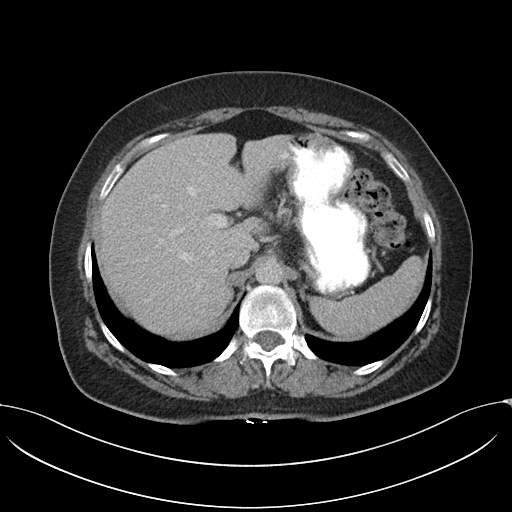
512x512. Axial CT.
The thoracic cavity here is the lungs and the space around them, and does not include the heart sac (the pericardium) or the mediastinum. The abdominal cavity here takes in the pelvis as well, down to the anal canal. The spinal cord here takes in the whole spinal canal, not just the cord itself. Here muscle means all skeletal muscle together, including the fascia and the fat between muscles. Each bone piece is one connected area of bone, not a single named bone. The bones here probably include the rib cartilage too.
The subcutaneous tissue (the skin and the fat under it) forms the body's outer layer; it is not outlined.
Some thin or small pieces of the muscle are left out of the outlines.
{"mediastinum":[[[263,261],[275,261],[284,265],[284,267],[285,268],[285,272],[287,277],[286,290],[285,291],[280,286],[278,286],[277,285],[271,285],[270,284],[259,284],[250,288],[248,290],[247,293],[244,291],[245,282],[250,275],[252,270],[258,263]]],"bones":[{"outer":[[259,285],[277,286],[287,293],[295,309],[296,331],[303,334],[308,347],[318,357],[309,359],[297,350],[294,365],[289,366],[280,358],[275,360],[271,366],[269,386],[259,359],[247,357],[240,363],[242,346],[246,340],[239,329],[240,304],[246,293]],"hole":[[262,331],[271,331],[272,332],[276,332],[278,334],[279,334],[279,335],[282,338],[283,340],[283,342],[280,344],[278,344],[270,350],[266,350],[264,349],[259,343],[258,343],[254,340],[254,337],[255,335],[257,333],[259,332],[261,332]]},[[163,132],[168,132],[170,134],[169,136],[164,137],[162,139],[154,142],[148,147],[135,152],[131,156],[124,165],[124,169],[122,173],[117,178],[109,190],[107,195],[102,200],[100,200],[99,199],[99,194],[101,188],[113,167],[138,142],[144,138]],[[387,151],[392,153],[393,154],[393,155],[402,165],[402,166],[405,169],[405,170],[409,175],[409,177],[410,178],[410,181],[404,181],[401,178],[400,178],[388,165],[388,164],[386,162],[386,161],[384,159],[384,158],[383,157],[385,152],[386,152]],[[235,334],[236,334],[237,336],[239,337],[240,339],[240,345],[238,347],[238,348],[228,358],[222,361],[218,361],[217,362],[215,362],[213,361],[213,360],[217,356],[218,356],[228,345],[232,337]],[[88,242],[91,242],[92,243],[92,247],[91,248],[91,278],[92,279],[92,281],[91,282],[91,283],[89,283],[88,282],[88,281],[86,278],[86,276],[85,275],[85,271],[84,270],[84,256],[85,255],[85,250],[86,249],[86,245]],[[101,320],[103,321],[103,322],[107,326],[107,327],[113,334],[113,335],[125,348],[125,351],[124,352],[121,352],[119,350],[115,348],[107,340],[100,326],[100,322]],[[429,296],[430,296],[432,299],[432,302],[431,303],[431,308],[430,309],[430,312],[429,313],[429,315],[423,327],[420,330],[420,331],[418,333],[416,334],[414,334],[413,333],[413,331],[421,316],[421,314],[425,307],[425,305],[427,302],[427,300]],[[381,359],[384,359],[383,363],[379,367],[378,367],[370,373],[364,374],[363,375],[357,375],[353,373],[353,371],[358,367],[362,366],[363,365],[365,365],[366,364],[368,364],[369,363],[371,363],[372,362],[374,362],[377,360],[380,360]],[[425,210],[427,211],[427,212],[429,214],[432,220],[433,225],[434,226],[434,231],[435,232],[435,239],[434,241],[431,241],[429,239],[427,235],[427,232],[426,231],[426,228],[425,227],[424,220],[422,217],[422,213],[423,211]],[[345,130],[353,130],[354,131],[360,131],[361,132],[366,132],[370,135],[371,135],[372,138],[369,141],[368,141],[367,142],[363,142],[362,141],[360,141],[356,138],[354,138],[353,137],[351,137],[348,135],[346,135],[345,134],[344,134],[342,132]],[[149,362],[150,363],[155,363],[156,364],[159,364],[160,365],[162,365],[163,366],[171,368],[175,372],[176,372],[177,374],[175,376],[173,376],[172,375],[166,375],[165,374],[157,372],[153,369],[152,369],[147,364],[147,363]]],"thoracic_cavity":[[[93,245],[99,276],[113,305],[124,318],[133,322],[147,332],[167,341],[188,342],[203,338],[221,330],[226,325],[238,304],[238,328],[227,345],[212,360],[189,367],[172,368],[155,362],[147,362],[136,356],[119,341],[101,317],[96,303],[92,283]],[[430,253],[432,258],[432,275],[429,295],[413,330],[395,350],[384,358],[377,359],[357,366],[340,364],[326,360],[319,357],[309,347],[304,334],[309,334],[331,342],[358,342],[365,340],[379,332],[405,314],[415,303],[422,291],[426,279],[426,272]]],"muscle":[{"outer":[[272,105],[301,107],[310,111],[322,112],[333,116],[337,116],[340,118],[351,121],[355,124],[359,124],[369,127],[385,136],[404,154],[409,164],[419,176],[422,182],[423,189],[438,216],[441,227],[441,251],[442,252],[441,255],[442,260],[440,269],[441,273],[441,283],[440,284],[441,286],[441,299],[440,300],[440,325],[438,331],[434,335],[429,344],[416,357],[411,361],[406,363],[403,367],[387,379],[365,391],[351,396],[346,396],[345,397],[310,396],[309,397],[297,398],[296,397],[286,396],[271,389],[264,389],[253,394],[238,398],[225,398],[222,396],[218,399],[214,399],[210,401],[193,400],[186,398],[176,398],[168,396],[146,386],[127,373],[108,365],[95,354],[89,351],[85,346],[84,340],[82,337],[82,329],[84,326],[84,317],[88,311],[88,307],[83,296],[81,280],[79,277],[79,271],[77,268],[77,251],[85,225],[85,212],[87,206],[88,196],[96,181],[101,175],[111,158],[128,141],[135,136],[147,130],[175,119],[187,116],[195,116],[201,112],[214,108],[271,106]],"holes":[[[252,110],[359,143],[382,157],[392,153],[409,175],[404,182],[409,197],[432,220],[429,315],[418,333],[412,331],[370,373],[357,375],[356,365],[309,359],[297,350],[294,365],[280,358],[273,362],[268,386],[259,359],[240,363],[246,338],[238,328],[240,345],[228,358],[174,367],[177,374],[166,375],[128,349],[115,348],[101,329],[84,256],[113,167],[144,138],[169,136],[135,152],[125,168],[152,147]],[[345,130],[353,130],[354,131],[360,131],[361,132],[366,132],[370,135],[371,135],[372,138],[369,141],[368,141],[367,142],[363,142],[362,141],[360,141],[356,138],[354,138],[353,137],[351,137],[348,135],[346,135],[345,134],[344,134],[342,132]]]}],"spinal_cord":[[[262,331],[271,331],[272,332],[276,332],[278,334],[279,334],[279,335],[282,338],[283,340],[283,342],[280,344],[278,344],[270,350],[266,350],[264,349],[259,343],[258,343],[254,340],[254,337],[255,335],[257,333],[259,332],[261,332]]],"abdominal_cavity":[[[252,110],[377,151],[421,214],[431,252],[421,291],[405,313],[365,339],[331,341],[302,333],[286,291],[285,265],[275,260],[251,270],[245,294],[221,329],[188,341],[170,341],[140,327],[120,313],[106,290],[92,242],[104,199],[128,164],[152,147]]],"torso":[[[232,70],[300,72],[369,92],[415,126],[452,179],[470,224],[472,275],[459,358],[452,373],[437,386],[392,405],[334,421],[251,418],[181,425],[108,407],[84,395],[73,383],[58,344],[48,276],[54,215],[72,171],[99,127],[128,102],[178,80]]]}